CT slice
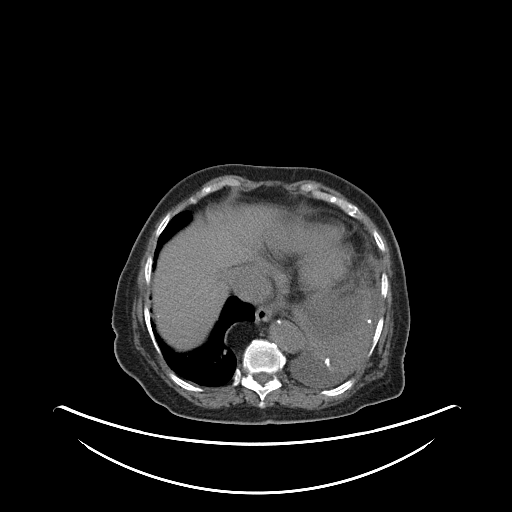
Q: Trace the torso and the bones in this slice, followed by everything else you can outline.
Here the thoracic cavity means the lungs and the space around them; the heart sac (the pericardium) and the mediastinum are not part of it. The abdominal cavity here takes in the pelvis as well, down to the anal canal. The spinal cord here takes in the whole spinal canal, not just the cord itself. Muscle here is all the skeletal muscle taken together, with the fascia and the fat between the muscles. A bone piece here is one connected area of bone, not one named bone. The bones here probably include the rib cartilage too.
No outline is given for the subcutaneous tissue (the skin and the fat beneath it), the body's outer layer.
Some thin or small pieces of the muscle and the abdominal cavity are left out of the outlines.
A: {"torso":[[[226,163],[325,169],[357,185],[380,206],[399,245],[410,307],[403,362],[405,383],[397,397],[365,406],[350,415],[319,421],[265,425],[214,423],[170,412],[152,400],[120,367],[114,354],[112,306],[118,277],[136,236],[155,205],[175,183],[199,169]]],"bones":[{"outer":[[254,339],[263,339],[274,343],[286,358],[286,362],[284,367],[277,374],[282,385],[279,388],[270,391],[264,397],[264,407],[262,408],[258,406],[260,398],[254,390],[247,388],[240,383],[235,386],[232,385],[235,369],[241,364],[242,354],[245,348]],"hole":[[260,372],[264,372],[265,373],[267,373],[268,374],[269,374],[270,375],[271,375],[271,378],[269,380],[268,380],[266,382],[265,382],[263,384],[262,384],[261,383],[260,383],[259,382],[258,382],[254,378],[254,374],[255,374],[256,373],[259,373]]},[[306,183],[313,183],[316,184],[320,190],[324,191],[329,194],[334,195],[339,198],[341,198],[348,202],[354,204],[357,206],[360,212],[361,219],[358,220],[348,215],[337,205],[333,203],[312,197],[310,192],[304,192],[301,191],[299,188],[300,186]],[[225,178],[232,178],[233,179],[235,179],[239,181],[240,184],[238,186],[225,186],[221,189],[219,189],[216,191],[214,191],[204,196],[194,204],[191,204],[189,202],[189,198],[193,196],[204,186],[206,185],[209,185],[213,183],[216,183]],[[350,378],[353,378],[355,380],[354,383],[350,388],[345,390],[342,393],[340,393],[339,394],[337,394],[333,396],[328,396],[327,395],[321,394],[320,393],[320,392],[322,390],[334,388],[340,385]],[[170,371],[172,371],[177,376],[178,376],[183,380],[193,385],[195,385],[196,386],[199,386],[201,387],[203,389],[203,390],[202,391],[192,391],[191,390],[187,390],[183,388],[181,386],[175,383],[169,377],[168,375],[168,373]],[[145,305],[148,306],[148,308],[149,309],[149,317],[150,318],[150,324],[151,325],[152,332],[153,333],[155,341],[159,348],[161,355],[160,355],[157,352],[156,349],[154,347],[146,326],[146,323],[144,318],[144,311],[143,310]],[[381,316],[383,316],[384,320],[383,321],[383,326],[382,327],[380,335],[378,338],[376,345],[371,355],[370,356],[367,356],[368,352],[370,349],[371,344],[372,343],[372,338],[374,334],[374,331],[376,327],[376,324],[378,321],[379,317]],[[149,255],[152,255],[152,269],[151,270],[151,275],[150,276],[150,282],[149,283],[149,285],[148,285],[146,283],[146,281],[145,280],[145,274],[144,273],[144,266],[145,265],[145,263],[146,262],[146,259],[147,258],[147,257]],[[383,272],[385,272],[386,273],[386,274],[387,275],[387,276],[388,277],[388,288],[387,289],[387,293],[386,294],[386,296],[384,298],[383,298],[381,296],[381,294],[380,293],[380,281],[381,280],[381,275],[382,274],[382,273]],[[168,212],[170,212],[172,214],[173,214],[173,215],[157,238],[155,235],[155,232],[156,231],[156,229],[158,227],[160,222],[162,220],[162,219],[164,217],[164,216]],[[373,229],[375,229],[378,232],[378,233],[380,235],[380,236],[383,241],[383,243],[384,244],[384,246],[385,247],[385,250],[383,252],[380,251],[378,249],[378,248],[375,243],[375,241],[374,240],[374,238],[372,235],[372,230]]],"mediastinum":[[[256,263],[277,290],[293,300],[302,302],[300,323],[304,336],[303,349],[287,361],[286,356],[274,342],[254,338],[244,348],[240,364],[237,366],[237,359],[225,341],[226,329],[233,323],[253,322],[255,310],[249,302],[232,294],[232,291],[240,278]],[[308,197],[333,204],[337,206],[348,216],[361,222],[365,229],[369,232],[371,237],[373,238],[374,243],[379,252],[380,258],[377,258],[373,254],[371,250],[372,248],[366,236],[355,225],[353,224],[352,225],[345,217],[336,213],[335,211],[312,205]],[[224,188],[228,188],[229,190],[228,192],[221,199],[213,201],[210,203],[205,203],[203,204],[197,210],[193,212],[192,212],[192,211],[189,209],[185,209],[191,205],[194,205],[196,204],[204,197],[214,192],[216,192],[219,190],[221,190]]],"pericardium":[[[303,207],[323,208],[345,218],[365,236],[371,248],[369,252],[371,253],[368,254],[361,266],[354,271],[350,279],[342,285],[323,290],[306,297],[302,301],[298,301],[283,294],[272,284],[271,280],[258,267],[256,258],[260,240],[266,229],[282,216]]],"thoracic_cavity":[[[377,259],[380,260],[381,303],[371,343],[361,365],[349,378],[331,388],[312,389],[293,381],[285,366],[288,360],[298,356],[304,349],[305,336],[301,323],[302,317],[314,333],[326,340],[340,342],[354,334],[370,316],[377,298],[380,278],[380,266]],[[231,295],[249,303],[254,310],[253,321],[243,320],[233,322],[225,329],[224,341],[236,359],[236,367],[231,382],[219,386],[200,386],[183,379],[171,369],[163,358],[151,321],[156,333],[169,348],[176,353],[188,354],[198,350],[208,342],[224,305]],[[183,210],[189,210],[191,211],[191,219],[188,223],[174,233],[173,235],[172,235],[171,237],[170,237],[161,246],[161,248],[159,250],[158,255],[156,258],[155,267],[154,269],[153,269],[153,255],[156,247],[157,239],[164,230],[170,220],[176,214]]],"muscle":[[[226,174],[238,175],[252,181],[274,180],[285,183],[292,183],[305,179],[314,180],[338,190],[350,201],[320,189],[318,185],[313,182],[306,182],[299,186],[298,188],[301,192],[310,193],[310,196],[306,196],[301,194],[293,194],[284,188],[276,186],[260,186],[248,190],[231,189],[225,187],[238,187],[241,183],[235,178],[225,177],[216,182],[204,185],[188,198],[188,202],[190,205],[174,215],[173,213],[168,211],[163,216],[155,229],[154,235],[156,238],[156,243],[153,254],[149,254],[146,257],[143,266],[144,280],[145,283],[149,286],[149,304],[145,304],[142,310],[145,326],[152,345],[171,370],[167,373],[168,377],[178,386],[192,392],[202,392],[204,390],[202,387],[219,387],[230,383],[232,386],[235,387],[240,384],[243,387],[252,390],[257,394],[259,398],[257,404],[258,407],[245,406],[205,408],[194,404],[168,385],[155,372],[135,348],[133,341],[131,311],[133,300],[137,294],[137,275],[141,257],[151,232],[155,227],[155,224],[170,208],[197,190],[205,182],[214,177]],[[358,206],[381,231],[391,255],[394,324],[387,369],[383,376],[328,407],[265,407],[265,397],[283,385],[278,374],[284,368],[289,378],[300,386],[319,390],[321,395],[328,397],[342,394],[353,386],[356,380],[351,377],[377,345],[385,320],[383,315],[379,316],[382,298],[387,296],[389,288],[389,277],[385,271],[382,272],[380,259],[380,252],[383,253],[386,247],[379,232],[373,228],[371,234],[360,221],[362,215]]],"abdominal_cavity":[[[260,187],[276,187],[293,195],[305,196],[315,206],[292,210],[265,229],[256,249],[256,262],[236,282],[207,342],[188,353],[174,351],[157,333],[150,317],[152,270],[156,267],[162,246],[188,224],[192,213],[203,205],[221,200],[230,189],[248,191]],[[372,253],[376,258],[379,266],[379,278],[376,298],[369,313],[369,316],[365,322],[354,333],[343,340],[335,341],[321,337],[312,330],[302,316],[303,300],[323,291],[333,290],[337,287],[342,286],[351,279],[355,271],[362,266],[366,261],[369,254]]],"spinal_cord":[[[260,372],[264,372],[265,373],[267,373],[268,374],[269,374],[270,375],[271,375],[271,378],[269,380],[268,380],[266,382],[265,382],[263,384],[262,384],[261,383],[260,383],[259,382],[258,382],[254,378],[254,374],[255,374],[256,373],[259,373]]]}